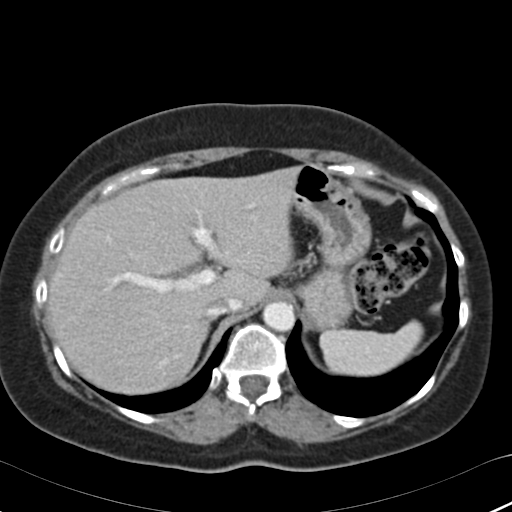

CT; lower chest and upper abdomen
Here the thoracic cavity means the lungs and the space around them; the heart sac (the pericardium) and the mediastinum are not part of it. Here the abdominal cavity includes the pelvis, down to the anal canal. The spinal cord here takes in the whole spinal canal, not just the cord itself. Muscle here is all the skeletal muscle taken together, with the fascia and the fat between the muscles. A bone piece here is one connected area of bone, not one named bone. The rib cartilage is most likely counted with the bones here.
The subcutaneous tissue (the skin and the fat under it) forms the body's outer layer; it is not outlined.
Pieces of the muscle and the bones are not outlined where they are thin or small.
thoracic cavity 1: 408 196; 435 216; 450 245; 457 267; 457 326; 433 372; 413 395; 373 415; 333 413; 308 399; 290 373; 285 344; 297 320; 301 324; 299 339; 312 365; 328 376; 346 378; 385 375; 419 356; 444 329; 446 253; 432 226; 415 212
thoracic cavity 2: 229 328; 231 331; 228 338; 226 350; 219 364; 212 369; 210 379; 205 391; 197 399; 183 407; 164 412; 146 413; 122 406; 103 396; 86 384; 89 384; 106 392; 124 396; 143 396; 177 388; 188 382; 198 373; 222 339; 224 333
mediastinum: 274 298; 283 298; 288 300; 293 304; 293 307; 295 308; 295 313; 297 319; 295 321; 285 343; 282 341; 279 336; 264 325; 253 321; 247 322; 237 327; 231 334; 232 328; 234 326; 244 320; 247 320; 255 314; 268 300; 271 300
spinal cord: 251 375; 261 375; 262 376; 264 376; 266 377; 268 379; 268 383; 265 388; 265 390; 259 395; 258 395; 252 401; 250 401; 249 400; 249 398; 243 393; 243 391; 242 390; 242 388; 240 384; 240 379; 242 377; 244 376; 250 376
abdominal cavity: 252 151; 280 153; 409 195; 409 205; 431 226; 445 253; 441 333; 419 355; 385 374; 328 375; 306 354; 294 304; 274 297; 229 327; 197 373; 182 385; 124 395; 82 381; 70 369; 46 310; 48 281; 66 232; 87 208; 122 186
muscle: 217 146; 297 147; 298 148; 317 148; 318 149; 342 151; 349 154; 352 154; 360 158; 372 161; 404 178; 413 179; 428 188; 438 198; 445 210; 445 213; 448 218; 450 225; 462 246; 462 250; 468 262; 467 277; 471 299; 472 318; 469 325; 467 336; 461 348; 457 361; 450 369; 437 389; 423 403; 415 409; 399 417; 392 423; 381 425; 347 438; 329 442; 308 443; 299 446; 296 443; 281 438; 265 429; 259 427; 255 431; 249 432; 245 427; 242 427; 218 443; 202 445; 201 444; 194 444; 193 443; 176 441; 154 432; 138 428; 128 424; 119 419; 117 419; 106 412; 100 411; 93 406; 87 404; 74 395; 64 390; 54 381; 51 373; 47 367; 45 356; 42 351; 40 343; 40 336; 34 323; 34 319; 30 310; 33 299; 32 297; 32 282; 38 267; 40 265; 42 250; 47 237; 57 223; 71 207; 76 203; 78 199; 94 185; 104 178; 130 166; 138 164; 160 155; 185 150; 192 150; 193 149; 216 147 with holes at 252 151; 280 153; 408 195; 416 188; 436 200; 439 210; 434 215; 448 242; 464 257; 463 266; 457 268; 457 284; 459 299; 468 305; 468 317; 461 329; 455 329; 433 371; 435 380; 422 397; 405 407; 400 403; 365 416; 361 425; 348 428; 308 399; 286 372; 279 379; 281 395; 258 405; 251 417; 244 404; 226 397; 223 377; 191 403; 151 413; 160 421; 143 423; 124 415; 115 402; 60 368; 52 349; 57 342; 46 303; 39 306; 35 297; 39 281; 45 279; 47 284; 50 278; 56 257; 49 250; 53 235; 61 227; 65 235; 87 208; 104 197; 104 186; 133 170; 179 163; 177 168; 163 167; 156 174; 168 174 and at 356 162; 360 164; 365 165; 371 168; 376 173; 373 179; 369 179; 365 177; 359 177; 356 175; 348 175; 340 171; 338 171; 337 170; 332 169; 329 167; 330 165; 332 165; 333 164; 351 164; 352 163; 355 163
bones 1: 252 322; 264 326; 283 342; 286 363; 293 379; 291 381; 284 373; 279 379; 281 395; 258 405; 248 417; 248 408; 244 404; 226 397; 227 381; 224 377; 214 389; 207 391; 207 388; 213 369; 220 364; 227 350; 230 336; 237 328; inner edge: 251 375; 261 375; 262 376; 264 376; 266 377; 268 379; 268 383; 265 388; 265 390; 259 395; 258 395; 252 401; 250 401; 249 400; 249 398; 243 393; 243 391; 242 390; 242 388; 240 384; 240 379; 242 377; 244 376; 250 376
bones 2: 175 163; 180 164; 179 167; 177 168; 163 167; 158 173; 152 175; 150 177; 143 178; 137 181; 130 182; 125 185; 122 185; 107 195; 101 194; 101 191; 104 186; 124 174; 129 173; 133 170; 152 165; 164 166; 165 165; 171 165
bones 3: 356 162; 360 164; 365 165; 371 168; 376 173; 373 179; 369 179; 365 177; 359 177; 356 175; 348 175; 340 171; 338 171; 337 170; 332 169; 329 167; 330 165; 332 165; 333 164; 351 164; 352 163; 355 163
bones 4: 412 188; 416 188; 424 194; 427 194; 428 195; 429 195; 432 198; 434 198; 438 203; 438 205; 439 206; 439 210; 435 214; 434 214; 429 210; 428 210; 427 209; 425 209; 420 206; 418 206; 416 204; 416 203; 410 195; 410 190
bones 5: 115 404; 117 404; 122 407; 124 407; 131 410; 134 410; 135 411; 145 413; 146 414; 150 414; 155 417; 157 417; 161 419; 161 420; 158 422; 153 422; 152 423; 143 423; 142 422; 137 421; 124 415; 118 411; 115 408
bones 6: 331 414; 336 414; 337 415; 341 415; 342 416; 347 416; 348 417; 363 417; 365 418; 365 421; 361 425; 359 426; 357 426; 356 427; 352 427; 351 428; 348 428; 347 427; 344 427; 338 424; 335 421; 334 421; 334 420; 331 416
bones 7: 433 373; 435 373; 436 376; 435 377; 435 380; 431 388; 422 397; 421 397; 416 401; 413 402; 411 404; 405 407; 401 407; 401 405; 402 403; 403 403; 406 400; 407 400; 409 398; 413 396; 424 385; 424 384; 429 379; 429 378
bones 8: 55 343; 56 343; 58 345; 59 348; 61 350; 65 358; 65 360; 69 367; 69 369; 71 371; 73 375; 73 376; 71 378; 68 377; 63 372; 56 361; 56 359; 55 358; 55 356; 52 349; 52 346; 53 344
bones 9: 61 227; 62 227; 63 228; 64 228; 64 239; 63 240; 63 243; 62 244; 62 246; 61 247; 61 248; 59 250; 59 251; 57 253; 51 253; 49 250; 49 244; 50 243; 50 241; 51 240; 51 238; 53 236; 53 235
bones 10: 461 299; 464 299; 466 301; 466 302; 467 303; 467 304; 468 305; 468 317; 467 318; 467 321; 466 322; 466 323; 465 324; 465 325; 461 329; 459 329; 457 327; 458 326; 458 323; 459 322; 459 304; 460 303; 460 300
torso: 207 102; 301 103; 347 112; 405 146; 463 203; 481 236; 490 265; 493 328; 483 389; 449 431; 413 448; 343 467; 288 471; 251 465; 203 473; 134 463; 86 450; 37 428; 15 407; 0 380; 0 264; 18 223; 92 141; 140 117